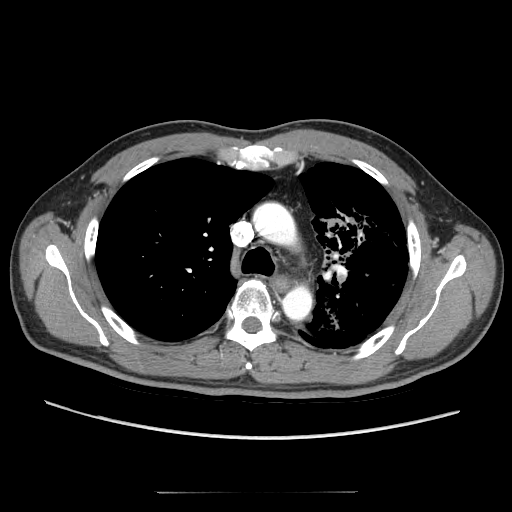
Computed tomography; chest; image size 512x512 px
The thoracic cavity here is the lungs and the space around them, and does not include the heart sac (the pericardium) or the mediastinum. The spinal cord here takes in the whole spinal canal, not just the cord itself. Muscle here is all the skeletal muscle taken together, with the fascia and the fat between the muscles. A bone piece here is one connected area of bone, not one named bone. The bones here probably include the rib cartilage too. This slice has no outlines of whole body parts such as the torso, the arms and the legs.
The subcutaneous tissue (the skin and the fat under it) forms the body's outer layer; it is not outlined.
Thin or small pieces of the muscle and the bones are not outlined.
The bones appear in 10 outlined pieces: piece 1: [[249,279],[259,280],[265,285],[273,301],[274,307],[280,313],[280,326],[285,333],[281,333],[275,341],[263,343],[254,348],[252,351],[249,351],[236,341],[226,339],[223,336],[224,326],[222,323],[217,329],[215,329],[215,325],[225,313],[237,287]]; inner edge: [[248,317],[254,317],[255,318],[256,318],[260,322],[260,324],[261,325],[261,327],[260,328],[260,329],[254,333],[250,333],[249,332],[248,332],[247,331],[246,331],[243,328],[243,326],[242,325],[242,324],[243,323],[243,321],[246,318],[247,318]]; piece 2: [[252,144],[263,145],[271,149],[275,147],[281,147],[283,149],[293,151],[303,158],[304,165],[301,167],[296,163],[291,163],[281,167],[272,167],[269,169],[256,171],[237,169],[226,164],[218,164],[216,162],[216,154],[218,150],[232,146],[242,148]]; piece 3: [[459,254],[462,254],[465,257],[466,267],[464,272],[460,276],[449,280],[444,285],[440,292],[438,303],[432,314],[426,322],[407,339],[402,352],[398,355],[395,354],[394,351],[403,336],[415,327],[430,310],[435,299],[435,291],[438,285],[452,260]]; piece 4: [[49,244],[54,244],[59,250],[68,269],[71,281],[71,286],[74,295],[82,309],[99,324],[108,340],[109,344],[107,346],[103,345],[100,342],[96,328],[82,316],[73,302],[69,293],[67,279],[65,274],[60,269],[50,265],[46,260],[45,249]]; piece 5: [[390,323],[394,323],[395,328],[390,337],[377,350],[365,357],[363,357],[359,359],[356,359],[355,360],[351,359],[351,356],[353,353],[351,351],[350,352],[346,352],[346,351],[348,350],[355,350],[361,343],[362,343],[373,334],[385,326],[388,325]]; piece 6: [[409,217],[411,217],[413,219],[417,227],[419,233],[419,237],[420,238],[420,245],[421,246],[421,259],[419,264],[419,269],[417,275],[414,279],[412,278],[412,274],[409,270],[409,267],[408,266],[409,252],[408,251],[408,246],[407,245],[406,226]]; piece 7: [[102,303],[104,303],[108,306],[109,306],[127,324],[128,324],[136,332],[137,332],[139,334],[137,338],[140,344],[137,345],[136,344],[134,344],[126,340],[113,329],[113,328],[108,323],[108,322],[106,320],[105,317],[103,315],[101,311],[100,306]]; piece 8: [[94,215],[97,216],[99,220],[99,224],[98,225],[97,237],[96,238],[96,242],[95,243],[95,253],[93,258],[89,262],[88,262],[85,257],[85,253],[84,252],[84,239],[85,238],[85,231],[86,230],[86,227],[89,220],[91,217]]; piece 9: [[352,158],[356,158],[357,159],[360,159],[361,160],[363,160],[369,163],[374,167],[375,167],[386,178],[386,179],[388,181],[388,185],[385,187],[383,186],[369,174],[366,173],[360,168],[354,165],[351,162],[351,159]]; piece 10: [[152,156],[158,156],[160,158],[157,163],[150,166],[148,168],[138,173],[136,175],[135,175],[124,183],[122,183],[122,179],[123,177],[125,175],[125,174],[130,169],[131,169],[134,166],[135,166],[141,161],[149,157],[151,157]]. The thoracic cavity appears in 2 outlined pieces: piece 1: [[183,157],[207,158],[215,160],[218,165],[259,172],[270,177],[274,183],[267,193],[228,226],[232,243],[229,271],[236,280],[236,288],[220,319],[214,325],[188,339],[162,341],[136,331],[113,309],[100,282],[94,257],[100,220],[121,186],[158,163]]; piece 2: [[317,161],[355,166],[384,187],[397,206],[406,234],[408,273],[401,294],[384,326],[355,349],[339,352],[326,352],[310,347],[295,339],[288,331],[303,329],[312,320],[319,288],[317,279],[324,269],[325,250],[312,222],[316,215],[299,178],[301,173]]. The spinal cord is outlined by [[248,317],[254,317],[255,318],[256,318],[260,322],[260,324],[261,325],[261,327],[260,328],[260,329],[254,333],[250,333],[249,332],[248,332],[247,331],[246,331],[243,328],[243,326],[242,325],[242,324],[243,323],[243,321],[246,318],[247,318]]. The muscle is outlined by [[295,128],[344,135],[392,159],[416,183],[416,199],[427,215],[429,232],[440,245],[454,234],[456,223],[485,235],[496,260],[492,295],[479,318],[459,337],[434,356],[404,361],[365,383],[263,384],[249,374],[229,379],[140,374],[126,370],[93,346],[64,341],[46,330],[27,298],[19,271],[20,239],[35,217],[52,211],[69,233],[69,226],[96,188],[90,181],[92,174],[118,152],[142,141],[206,131],[256,142]], around holes outlined by [[252,144],[271,149],[281,147],[304,159],[316,161],[352,165],[352,158],[363,160],[388,181],[385,189],[397,206],[404,225],[407,225],[409,217],[413,219],[421,246],[419,269],[414,279],[408,271],[401,294],[384,324],[394,323],[395,328],[390,337],[371,354],[354,360],[351,359],[351,351],[322,351],[298,341],[283,325],[280,326],[284,334],[252,351],[226,339],[222,323],[217,329],[213,325],[179,341],[162,341],[140,333],[137,337],[140,344],[137,345],[116,332],[103,315],[101,304],[112,306],[100,282],[94,259],[88,262],[85,257],[85,231],[92,216],[101,219],[123,184],[125,174],[152,156],[158,156],[159,163],[183,157],[215,160],[220,149]] and by [[459,254],[462,254],[465,257],[466,267],[464,272],[460,276],[449,280],[444,285],[440,292],[438,303],[432,314],[426,322],[407,339],[402,352],[398,355],[395,354],[394,351],[403,336],[415,327],[430,310],[435,299],[435,291],[438,285],[452,260]] and by [[49,244],[54,244],[59,250],[68,269],[71,281],[71,286],[74,295],[82,309],[99,324],[108,340],[109,344],[107,346],[103,345],[100,342],[96,328],[82,316],[73,302],[69,293],[67,279],[65,274],[60,269],[50,265],[46,260],[45,249]] and by [[247,361],[248,361],[249,361],[250,361],[251,362],[251,363],[251,364],[252,365],[252,366],[251,367],[251,368],[250,369],[249,369],[248,369],[247,369],[246,368],[246,367],[245,366],[245,365],[245,364],[246,363],[246,362]]. The mediastinum is outlined by [[305,158],[316,161],[298,178],[315,215],[311,222],[324,250],[323,269],[316,279],[318,288],[311,320],[303,328],[286,329],[280,311],[261,280],[249,278],[237,286],[230,271],[233,243],[229,226],[273,187],[274,180],[257,171],[291,164],[303,168]].